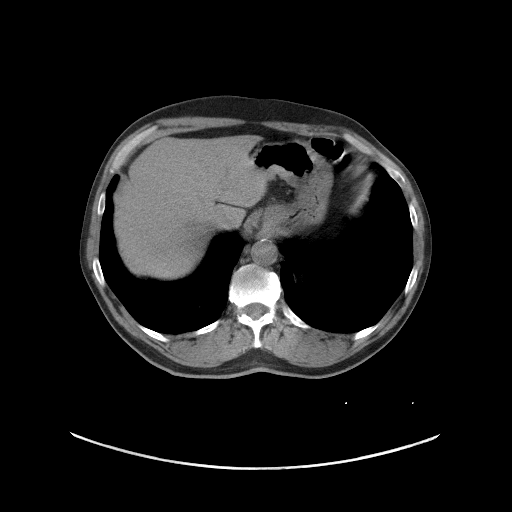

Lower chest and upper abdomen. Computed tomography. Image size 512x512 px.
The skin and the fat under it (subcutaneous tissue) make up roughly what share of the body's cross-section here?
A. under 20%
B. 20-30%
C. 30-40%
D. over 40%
A. under 20%
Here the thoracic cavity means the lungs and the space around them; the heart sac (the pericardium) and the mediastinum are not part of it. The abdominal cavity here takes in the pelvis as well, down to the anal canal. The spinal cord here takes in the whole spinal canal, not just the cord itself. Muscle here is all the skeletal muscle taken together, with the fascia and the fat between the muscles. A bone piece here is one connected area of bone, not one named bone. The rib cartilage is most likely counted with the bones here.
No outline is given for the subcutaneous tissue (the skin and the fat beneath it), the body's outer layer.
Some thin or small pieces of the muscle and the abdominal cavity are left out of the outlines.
The mediastinum is outlined by (257, 240) (265, 240) (268, 242) (270, 242) (272, 244) (276, 246) (279, 250) (279, 257) (280, 258) (280, 262) (279, 263) (279, 273) (278, 274) (274, 270) (263, 267) (253, 262) (242, 264) (233, 271) (233, 268) (237, 263) (245, 244) (248, 244) (250, 242) (256, 241). The bones appear in 11 outlined pieces: piece 1: (250, 263) (274, 271) (278, 275) (284, 301) (310, 326) (309, 328) (292, 324) (278, 309) (276, 312) (284, 321) (281, 323) (282, 328) (279, 329) (275, 323) (266, 324) (259, 334) (262, 346) (253, 347) (252, 330) (237, 321) (236, 308) (228, 300) (232, 273) (240, 266); inner edge: (252, 303) (259, 303) (260, 304) (265, 306) (266, 307) (267, 310) (258, 318) (256, 318) (255, 319) (254, 319) (253, 318) (252, 318) (249, 315) (248, 315) (246, 313) (245, 313) (243, 310) (244, 307) (245, 307) (247, 305) (248, 305) (249, 304) (251, 304); piece 2: (153, 125) (156, 125) (157, 126) (157, 129) (153, 133) (152, 133) (151, 135) (141, 141) (140, 143) (130, 152) (130, 153) (127, 156) (124, 163) (116, 173) (114, 174) (110, 173) (109, 170) (112, 164) (112, 162) (116, 154) (122, 147) (122, 146) (123, 146) (131, 138); piece 3: (380, 156) (384, 156) (388, 158) (393, 163) (393, 165) (395, 167) (395, 168) (397, 169) (401, 173) (401, 174) (404, 177) (405, 179) (405, 187) (404, 188) (402, 189) (400, 187) (400, 186) (389, 175) (389, 174) (386, 171) (386, 170) (379, 163) (379, 161) (380, 160); piece 4: (344, 133) (348, 133) (350, 134) (356, 139) (357, 139) (359, 141) (363, 143) (366, 146) (367, 146) (371, 150) (372, 152) (371, 154) (368, 155) (360, 151) (356, 147) (355, 147) (351, 143) (350, 143) (343, 137) (343, 134); piece 5: (95, 256) (97, 256) (98, 257) (99, 263) (101, 267) (101, 270) (102, 271) (102, 273) (103, 274) (103, 276) (106, 283) (106, 285) (105, 286) (102, 286) (100, 285) (100, 284) (97, 281) (95, 277) (95, 275) (93, 271) (93, 265) (92, 264) (93, 258); piece 6: (413, 265) (416, 265) (417, 266) (417, 275) (416, 276) (415, 283) (414, 285) (411, 288) (411, 289) (410, 289) (409, 291) (406, 294) (405, 294) (403, 292) (403, 290) (405, 287) (405, 285) (407, 282) (407, 280) (408, 279) (409, 274) (411, 271) (411, 269); piece 7: (138, 324) (141, 324) (143, 326) (147, 328) (149, 328) (154, 331) (156, 331) (159, 333) (161, 333) (163, 334) (166, 337) (167, 337) (169, 339) (169, 340) (167, 342) (164, 342) (163, 341) (161, 341) (160, 340) (155, 339) (149, 336) (138, 326); piece 8: (378, 322) (380, 322) (380, 325) (378, 327) (377, 327) (374, 330) (373, 330) (369, 334) (368, 334) (365, 337) (364, 337) (363, 338) (360, 338) (357, 340) (354, 340) (352, 338) (354, 333) (355, 333) (360, 330) (362, 330) (367, 327) (369, 327) (370, 326) (372, 326); piece 9: (217, 319) (220, 319) (221, 320) (221, 321) (219, 323) (219, 324) (213, 330) (212, 330) (209, 332) (207, 332) (206, 333) (203, 333) (202, 334) (199, 334) (198, 335) (193, 335) (193, 334) (192, 333) (192, 332) (193, 331) (195, 331) (196, 330) (215, 321); piece 10: (412, 200) (413, 200) (414, 202) (413, 203) (413, 205) (414, 206) (414, 208) (415, 209) (415, 211) (417, 215) (417, 219) (418, 220) (418, 225) (416, 229) (414, 229) (412, 226) (411, 220) (410, 219) (410, 216) (409, 215) (409, 209) (408, 208) (408, 203); piece 11: (104, 191) (105, 191) (105, 207) (104, 208) (104, 210) (103, 211) (103, 213) (102, 214) (102, 215) (101, 216) (100, 216) (99, 215) (98, 215) (98, 214) (97, 213) (97, 205) (98, 204) (98, 201) (99, 200) (99, 197) (100, 196) (100, 195) (101, 194) (101, 193). The torso is outlined by (220, 94) (277, 98) (343, 113) (365, 126) (401, 160) (419, 186) (432, 235) (425, 285) (397, 334) (371, 357) (347, 371) (320, 379) (267, 372) (228, 379) (173, 375) (148, 362) (115, 332) (83, 276) (78, 251) (84, 210) (96, 172) (115, 138) (134, 120) (156, 108). The spinal cord is outlined by (252, 303) (259, 303) (260, 304) (265, 306) (266, 307) (267, 310) (258, 318) (256, 318) (255, 319) (254, 319) (253, 318) (252, 318) (249, 315) (248, 315) (246, 313) (245, 313) (243, 310) (244, 307) (245, 307) (247, 305) (248, 305) (249, 304) (251, 304). The abdominal cavity appears in 2 outlined pieces: piece 1: (245, 124) (300, 134) (335, 132) (378, 162) (363, 216) (348, 223) (326, 245) (309, 247) (296, 242) (279, 249) (265, 239) (245, 243) (236, 233) (227, 232) (213, 238) (197, 269) (184, 279) (158, 281) (132, 275) (118, 254) (112, 225) (117, 173) (128, 156) (158, 135); piece 2: (294, 272) (296, 272) (297, 273) (300, 273) (301, 272) (302, 272) (304, 274) (304, 280) (299, 280) (297, 282) (294, 282) (293, 281) (293, 274) (294, 273). The thoracic cavity appears in 2 outlined pieces: piece 1: (376, 165) (381, 166) (399, 186) (407, 203) (413, 229) (412, 266) (406, 282) (392, 305) (372, 325) (353, 333) (336, 333) (313, 327) (298, 316) (283, 297) (279, 274) (280, 263) (285, 257) (280, 247) (296, 243) (309, 248) (326, 246) (348, 224) (361, 219) (379, 175); inner edge: (294, 272) (296, 272) (297, 273) (300, 273) (301, 272) (302, 272) (304, 274) (304, 280) (299, 280) (297, 282) (294, 282) (293, 281) (293, 274) (294, 273); piece 2: (115, 174) (118, 180) (111, 195) (115, 248) (121, 263) (135, 278) (158, 282) (184, 280) (198, 269) (217, 236) (233, 233) (244, 242) (232, 268) (228, 303) (219, 318) (192, 331) (164, 334) (139, 323) (112, 291) (100, 263) (99, 241) (101, 220) (106, 207) (106, 189). The muscle appears in 2 outlined pieces: piece 1: (182, 116) (342, 126) (366, 139) (388, 157) (380, 155) (377, 161) (370, 156) (372, 150) (348, 132) (342, 135) (335, 131) (300, 133) (252, 123) (158, 134) (140, 145) (158, 129) (158, 126) (153, 124) (121, 146) (108, 170) (113, 175) (105, 190) (100, 193) (96, 205) (96, 213) (101, 219) (98, 256) (95, 255) (91, 261) (94, 277) (100, 286) (109, 287) (144, 333) (164, 343) (170, 340) (166, 334) (191, 332) (193, 336) (198, 336) (213, 331) (222, 321) (220, 318) (228, 304) (233, 305) (236, 321) (252, 332) (251, 345) (254, 348) (213, 367) (193, 367) (178, 363) (130, 334) (109, 310) (91, 276) (86, 259) (86, 243) (93, 201) (104, 168) (113, 151) (121, 141) (143, 125) (160, 118); piece 2: (391, 160) (412, 186) (425, 229) (423, 270) (405, 312) (382, 336) (328, 366) (299, 366) (259, 349) (263, 346) (260, 339) (263, 327) (275, 324) (279, 330) (283, 328) (285, 321) (278, 310) (289, 323) (299, 328) (353, 334) (351, 338) (354, 341) (363, 339) (381, 325) (379, 321) (399, 296) (402, 293) (406, 295) (415, 285) (418, 266) (413, 264) (413, 230) (418, 228) (419, 220) (414, 200) (407, 202) (402, 190) (406, 187) (406, 179).